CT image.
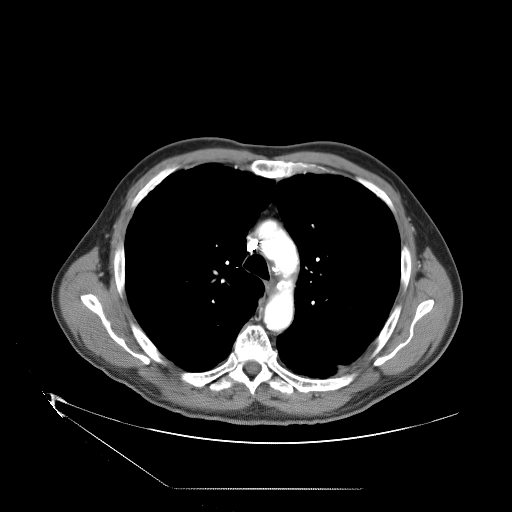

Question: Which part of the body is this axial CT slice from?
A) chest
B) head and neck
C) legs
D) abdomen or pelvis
Answer: A) chest
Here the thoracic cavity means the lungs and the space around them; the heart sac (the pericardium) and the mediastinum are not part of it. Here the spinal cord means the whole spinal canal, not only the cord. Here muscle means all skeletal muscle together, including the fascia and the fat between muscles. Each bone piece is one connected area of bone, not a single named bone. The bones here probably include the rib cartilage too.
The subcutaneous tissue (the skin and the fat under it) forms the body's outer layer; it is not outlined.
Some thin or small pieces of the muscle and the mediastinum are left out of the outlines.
The torso is outlined by 199,136 219,136 265,145 333,140 361,148 390,167 437,226 462,284 461,317 438,360 411,383 353,416 324,424 246,426 187,418 155,406 80,356 53,314 50,293 55,275 96,219 117,183 140,159 170,142. The thoracic cavity is outlined by 212,162 276,184 304,172 341,175 392,213 401,246 398,291 376,337 335,376 296,374 280,363 273,346 294,319 301,268 273,199 247,231 241,261 263,292 223,362 184,370 139,325 125,287 129,222 169,175. The spinal cord is outlined by 248,361 254,361 255,362 256,362 257,363 258,363 260,365 260,370 256,374 255,374 254,375 249,375 245,371 245,370 244,369 244,366 245,365 245,364. The bones appear in 9 outlined pieces: piece 1: 247,322 263,327 277,351 279,363 296,375 312,379 351,372 357,375 334,390 303,392 295,388 290,394 265,381 253,395 241,382 218,391 211,390 208,383 196,387 184,382 179,377 182,371 204,372 223,363; inner edge: 248,361 254,361 255,362 256,362 257,363 258,363 260,365 260,370 256,374 255,374 254,375 249,375 245,371 245,370 244,369 244,366 245,365 245,364; piece 2: 88,293 96,296 112,330 124,340 131,350 136,353 145,353 133,335 130,327 130,321 132,321 138,324 164,356 167,364 163,365 152,359 148,364 145,364 117,343 109,335 100,317 82,302 80,296; piece 3: 258,159 271,159 272,160 282,160 283,161 311,163 323,166 335,171 336,173 315,173 314,172 304,171 302,173 297,173 289,177 285,177 279,180 276,180 273,178 268,178 260,175 257,175 246,169 254,160; piece 4: 427,299 433,300 433,306 427,313 423,315 415,323 413,327 413,334 411,339 404,346 400,348 392,357 386,360 382,364 378,366 373,365 373,361 377,357 389,354 408,337 410,325 415,315 416,308 422,301; piece 5: 398,304 400,304 401,305 401,310 400,311 397,322 393,329 393,331 382,348 374,357 371,358 370,357 370,355 375,346 372,344 372,343 377,337 380,331 384,326 387,319 389,317 389,315 391,311 393,308; piece 6: 121,240 123,240 123,242 124,243 124,272 125,273 125,285 124,286 125,288 125,293 124,294 124,296 122,298 120,296 117,290 117,286 116,285 115,276 114,275 114,264 113,263 115,250 119,242; piece 7: 175,164 180,165 180,167 177,170 169,174 153,189 152,189 139,202 139,203 136,206 134,210 133,210 131,208 131,203 132,202 132,200 137,194 137,193 148,182 148,181 159,171 168,166 171,166; piece 8: 404,244 406,245 409,249 409,251 410,252 410,256 411,257 411,270 410,271 410,275 409,276 409,280 407,284 407,287 405,290 403,290 403,289 400,286 400,276 401,275 401,247 402,245; piece 9: 355,177 360,177 366,180 368,180 372,182 382,190 383,190 389,197 393,204 393,206 395,210 395,216 394,216 393,213 388,207 388,206 380,198 379,198 372,191 364,186 361,183 356,181 355,180. The mediastinum is outlined by 273,200 283,225 297,248 300,262 299,274 294,291 293,319 284,334 279,334 276,337 274,345 261,324 248,321 257,308 258,300 264,292 264,285 256,276 246,271 242,266 242,261 246,253 247,233 260,213. The muscle is outlined by 210,147 243,149 269,158 254,159 245,168 212,161 179,169 181,165 175,163 159,170 136,193 130,203 133,213 124,239 114,250 112,263 116,290 122,299 126,295 137,322 129,321 130,330 144,353 131,349 115,333 95,294 88,292 79,296 117,344 145,365 152,360 166,366 167,358 183,370 178,374 182,382 196,388 208,384 215,392 241,383 253,396 264,382 288,395 295,389 303,393 326,392 345,387 355,379 356,371 336,376 371,344 374,346 369,357 374,358 390,338 402,310 400,303 393,307 394,302 399,288 405,291 410,280 411,252 406,244 401,245 392,200 375,183 360,176 352,179 316,163 272,159 307,150 341,156 390,184 401,199 410,225 444,267 453,289 453,308 431,355 332,411 299,416 258,402 225,411 181,406 164,400 145,382 101,360 80,344 59,306 59,287 65,272 104,239 128,190 148,170 168,157; inner edge: 427,299 433,300 433,306 427,313 423,315 415,323 413,327 413,334 411,339 404,346 400,348 392,357 386,360 382,364 378,366 373,365 373,361 377,357 389,354 408,337 410,325 415,315 416,308 422,301.